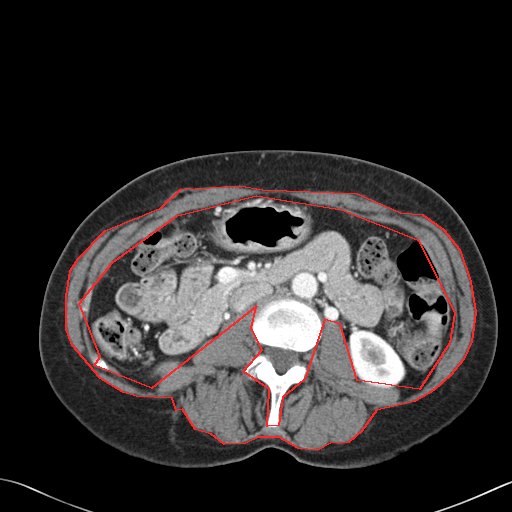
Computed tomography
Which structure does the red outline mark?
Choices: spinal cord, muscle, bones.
red: muscle.
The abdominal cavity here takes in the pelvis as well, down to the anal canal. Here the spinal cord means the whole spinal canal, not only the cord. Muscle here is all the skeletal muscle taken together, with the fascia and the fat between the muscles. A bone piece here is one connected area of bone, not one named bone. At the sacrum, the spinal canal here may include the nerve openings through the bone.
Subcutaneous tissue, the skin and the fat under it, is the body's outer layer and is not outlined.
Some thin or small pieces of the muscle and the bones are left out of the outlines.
muscle: [[239,185],[262,189],[357,193],[400,212],[422,214],[443,229],[459,249],[470,281],[475,312],[471,341],[463,359],[450,375],[433,390],[414,401],[376,410],[361,431],[348,442],[330,443],[317,450],[298,448],[279,437],[258,437],[245,443],[224,444],[211,434],[195,429],[182,409],[176,410],[172,398],[136,396],[123,392],[100,378],[72,345],[66,329],[66,296],[70,270],[78,258],[105,230],[161,207],[180,189]]; inner edge: [[256,195],[341,209],[417,239],[454,312],[449,343],[419,389],[357,380],[340,324],[324,319],[304,379],[282,397],[278,425],[267,426],[269,389],[243,371],[262,349],[251,328],[256,306],[151,388],[94,365],[100,356],[79,303],[112,262],[177,215]]
torso: [[254,149],[336,153],[406,173],[450,203],[478,246],[497,307],[492,365],[463,413],[395,458],[363,467],[320,467],[268,447],[212,467],[160,465],[94,436],[60,402],[45,376],[38,347],[43,296],[50,273],[80,222],[110,194],[150,169],[198,155]]
spinal cord: [[268,346],[269,347],[276,347],[277,348],[281,348],[285,350],[292,350],[293,351],[295,351],[300,354],[300,357],[301,358],[301,360],[299,362],[295,363],[285,372],[280,374],[276,371],[275,368],[272,364],[272,362],[264,353],[264,350],[265,348]]
bones: [[287,296],[311,306],[321,319],[322,329],[319,341],[305,353],[308,358],[304,362],[307,368],[304,379],[286,391],[279,407],[279,423],[269,427],[266,425],[270,410],[269,389],[261,380],[250,379],[243,369],[262,349],[251,328],[255,313],[265,302]], around a hole outlined by [[268,346],[269,347],[276,347],[277,348],[281,348],[285,350],[292,350],[293,351],[295,351],[300,354],[300,357],[301,358],[301,360],[299,362],[295,363],[285,372],[280,374],[276,371],[275,368],[272,364],[272,362],[264,353],[264,350],[265,348]]
abdominal cavity: [[256,195],[341,209],[397,225],[417,239],[454,312],[449,343],[419,389],[404,394],[397,386],[357,380],[340,324],[322,322],[311,305],[287,295],[232,315],[197,349],[191,364],[151,388],[128,381],[100,357],[88,333],[89,309],[112,262],[177,215]]